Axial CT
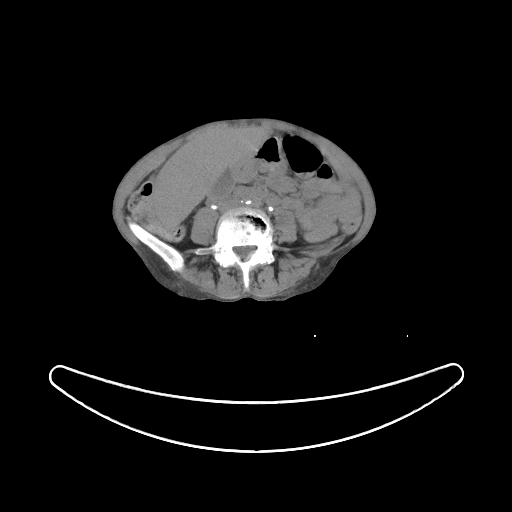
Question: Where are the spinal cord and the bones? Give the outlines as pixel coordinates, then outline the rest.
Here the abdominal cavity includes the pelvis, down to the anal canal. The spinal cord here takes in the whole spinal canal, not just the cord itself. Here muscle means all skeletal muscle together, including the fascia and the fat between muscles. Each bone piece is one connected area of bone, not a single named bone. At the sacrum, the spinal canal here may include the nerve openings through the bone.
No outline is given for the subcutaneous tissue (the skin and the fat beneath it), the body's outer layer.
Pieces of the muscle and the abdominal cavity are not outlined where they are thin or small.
Answer: The spinal cord is outlined by (240, 246) (251, 246) (252, 247) (254, 247) (255, 248) (249, 254) (249, 257) (248, 258) (248, 259) (247, 259) (246, 260) (242, 260) (240, 258) (240, 257) (234, 251) (234, 247) (239, 247). The bones appear in 2 outlined pieces: piece 1: (239, 207) (263, 211) (270, 219) (273, 228) (272, 238) (277, 245) (273, 251) (275, 258) (273, 262) (257, 264) (251, 268) (247, 290) (244, 289) (242, 271) (237, 265) (220, 266) (211, 251) (195, 253) (196, 248) (207, 247) (215, 242) (216, 226) (220, 216) (230, 209) with a hole at (240, 246) (251, 246) (252, 247) (254, 247) (255, 248) (249, 254) (249, 257) (248, 258) (248, 259) (247, 259) (246, 260) (242, 260) (240, 258) (240, 257) (234, 251) (234, 247) (239, 247); piece 2: (127, 217) (129, 217) (132, 221) (135, 222) (139, 226) (144, 228) (148, 232) (151, 233) (162, 241) (177, 249) (181, 253) (184, 258) (184, 268) (182, 272) (180, 273) (172, 270) (159, 255) (154, 252) (148, 246) (147, 246) (137, 237) (136, 237) (130, 230) (127, 224). The abdominal cavity is outlined by (247, 126) (300, 134) (333, 158) (362, 194) (357, 230) (298, 247) (290, 245) (298, 226) (287, 209) (276, 209) (271, 221) (259, 208) (230, 208) (219, 217) (205, 205) (195, 212) (189, 234) (201, 246) (178, 249) (139, 225) (127, 211) (127, 200) (170, 153) (194, 138). The torso is outlined by (233, 116) (283, 118) (319, 132) (341, 146) (359, 164) (371, 183) (377, 210) (370, 230) (339, 260) (326, 281) (310, 292) (284, 301) (244, 298) (234, 302) (220, 302) (178, 296) (156, 282) (113, 222) (111, 205) (115, 188) (123, 174) (138, 158) (158, 144) (197, 124). The muscle appears in 2 outlined pieces: piece 1: (260, 120) (295, 126) (341, 151) (357, 167) (369, 188) (372, 216) (356, 239) (322, 258) (307, 277) (284, 291) (269, 297) (244, 293) (234, 298) (220, 298) (199, 290) (175, 274) (182, 273) (185, 268) (185, 258) (179, 250) (194, 249) (196, 255) (211, 252) (220, 267) (237, 266) (241, 271) (243, 289) (247, 291) (252, 268) (271, 264) (276, 259) (274, 251) (278, 245) (273, 238) (272, 224) (272, 214) (276, 210) (287, 210) (295, 218) (297, 237) (289, 245) (292, 247) (317, 245) (340, 234) (349, 235) (358, 230) (364, 217) (363, 194) (354, 178) (333, 157) (300, 133) (260, 126) (228, 127) (184, 141) (137, 184) (125, 203) (129, 230) (168, 266) (123, 231) (115, 213) (116, 198) (134, 167) (160, 147) (208, 124); piece 2: (205, 206) (207, 206) (213, 210) (217, 214) (218, 218) (215, 226) (215, 240) (214, 242) (207, 246) (202, 246) (200, 244) (198, 244) (194, 242) (191, 239) (190, 237) (190, 234) (191, 233) (191, 229) (192, 228) (192, 224) (193, 223) (194, 216) (196, 212) (200, 208).